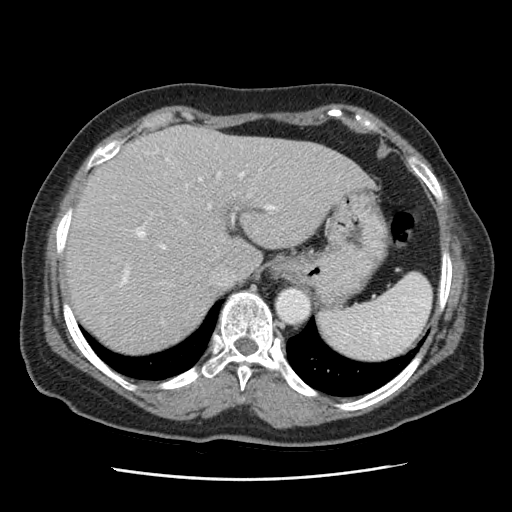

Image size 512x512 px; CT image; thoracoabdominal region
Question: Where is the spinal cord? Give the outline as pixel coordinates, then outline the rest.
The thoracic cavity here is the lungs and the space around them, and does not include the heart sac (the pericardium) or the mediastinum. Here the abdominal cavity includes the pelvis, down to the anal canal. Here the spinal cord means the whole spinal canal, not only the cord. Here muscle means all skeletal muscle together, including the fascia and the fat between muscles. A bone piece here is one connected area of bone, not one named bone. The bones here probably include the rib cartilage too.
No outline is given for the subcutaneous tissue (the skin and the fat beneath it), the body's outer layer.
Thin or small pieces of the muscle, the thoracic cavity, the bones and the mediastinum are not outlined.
Answer: Outlined structures:
spinal cord: 242,337 247,337 248,338 253,340 257,345 257,348 256,349 256,350 252,353 250,353 249,354 247,354 246,355 245,354 243,354 241,352 240,352 240,351 236,347 236,346 235,345 235,342 239,338 241,338
thoracic cavity 1: 311,317 313,317 319,338 331,350 340,356 355,362 381,363 405,356 418,345 426,334 427,335 418,351 410,361 387,382 363,395 336,396 320,391 304,381 293,369 286,358 285,346 287,340 297,335 306,326
thoracic cavity 2: 221,300 223,300 223,302 218,313 217,323 201,359 188,369 162,380 136,379 112,369 95,352 80,328 81,327 85,330 104,348 115,354 127,357 149,356 172,348 189,337 200,327 214,304
torso: 178,82 230,87 347,83 390,97 420,120 459,177 493,248 484,367 469,395 376,435 330,445 286,447 227,439 193,442 130,432 78,415 38,390 19,348 21,250 32,202 63,150 93,116 133,92
mediastinum: 282,276 288,280 300,284 303,287 312,305 312,313 305,326 297,334 289,337 285,343 282,335 277,331 276,333 275,327 277,324 274,321 273,313 268,304 257,293 250,291 250,288 259,285 268,278 279,278
bones 1: 243,290 257,294 267,304 276,324 275,333 283,338 286,360 304,382 319,392 319,397 298,392 275,371 258,364 252,366 254,370 241,391 234,362 212,377 200,374 180,387 156,387 201,364 222,305 230,294 with a hole at 242,337 247,337 248,338 253,340 257,345 257,348 256,349 256,350 252,353 250,353 249,354 247,354 246,355 245,354 243,354 241,352 240,352 240,351 236,347 236,346 235,345 235,342 239,338 241,338
bones 2: 64,301 71,308 73,315 83,336 94,352 112,370 120,374 127,381 136,384 137,385 137,388 134,391 128,390 124,388 113,379 107,376 98,369 83,355 79,348 76,345 69,331 67,329 62,312 62,303
bones 3: 419,350 425,350 425,353 422,358 421,362 408,379 401,386 389,395 373,404 371,404 366,407 360,409 357,409 356,410 342,410 336,407 334,405 334,403 343,403 344,402 355,400 381,387 396,376 411,361
bones 4: 409,155 414,155 420,160 424,162 430,169 430,170 435,175 440,185 440,187 442,191 442,194 443,195 443,200 441,203 438,202 436,200 426,185 420,179 420,178 412,171 411,168 408,165 405,159 405,158
bones 5: 444,249 446,249 450,254 451,261 452,262 452,270 451,271 451,282 449,288 449,293 445,303 445,306 443,310 440,312 438,309 439,308 438,305 438,289 439,288 440,274 441,273 442,251
bones 6: 127,136 127,139 120,146 119,149 111,157 110,157 105,161 103,161 101,163 92,167 89,170 87,171 85,170 85,167 91,155 98,147 100,146 103,146 114,139 117,139 118,138 121,138 122,137 126,137
bones 7: 332,108 339,108 341,109 344,112 345,116 351,119 355,113 359,113 375,122 383,133 379,133 372,130 367,130 366,129 362,129 359,127 356,127 352,125 347,119 340,119 334,116 329,116 326,114 326,112
bones 8: 69,207 72,207 72,211 71,212 71,217 70,218 69,227 67,231 67,236 65,240 65,246 63,249 62,253 61,254 58,254 57,253 57,246 56,245 56,229 57,228 59,220 61,218 63,214
bones 9: 164,112 170,112 174,114 174,117 171,121 167,122 166,123 164,123 163,124 159,124 153,127 150,127 149,128 144,128 139,132 134,132 132,133 142,122 143,120 147,119 148,118 150,118 155,115 157,115
abdominal cavity: 259,119 302,127 339,119 377,133 425,186 439,224 437,305 427,333 405,355 381,362 340,355 320,338 304,287 282,275 216,301 189,336 149,355 115,353 78,324 62,254 92,169 130,138 170,122 227,128
muscle: 330,103 359,106 379,117 423,155 434,173 416,155 405,157 380,134 384,132 375,121 359,112 348,117 339,107 325,112 336,118 302,126 259,118 212,127 193,121 194,115 186,110 178,113 185,119 181,120 172,121 175,114 170,111 145,118 131,133 136,135 114,138 92,152 84,167 86,172 91,170 73,205 58,220 55,245 56,253 62,255 68,300 61,303 66,329 82,355 128,391 134,392 138,385 122,375 161,381 157,389 171,390 200,375 212,378 234,363 241,392 253,366 258,365 275,372 304,396 319,398 320,392 361,396 333,405 342,411 366,408 392,394 415,372 426,353 420,348 436,307 441,313 450,293 452,257 446,248 442,250 438,216 427,191 443,202 437,177 466,235 465,329 453,353 367,413 280,429 245,406 205,419 158,416 51,350 42,328 47,232 66,186 100,141 163,106 186,105 230,115 297,112